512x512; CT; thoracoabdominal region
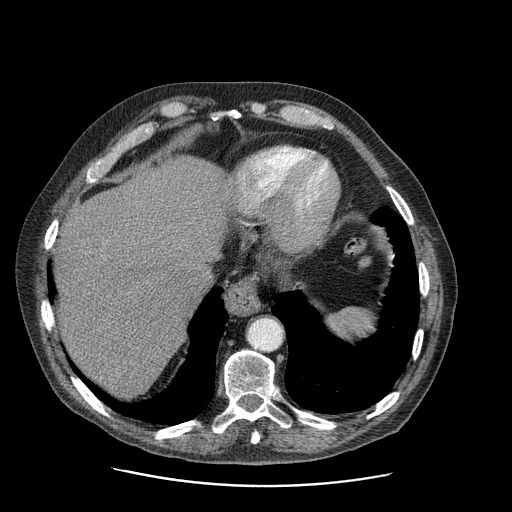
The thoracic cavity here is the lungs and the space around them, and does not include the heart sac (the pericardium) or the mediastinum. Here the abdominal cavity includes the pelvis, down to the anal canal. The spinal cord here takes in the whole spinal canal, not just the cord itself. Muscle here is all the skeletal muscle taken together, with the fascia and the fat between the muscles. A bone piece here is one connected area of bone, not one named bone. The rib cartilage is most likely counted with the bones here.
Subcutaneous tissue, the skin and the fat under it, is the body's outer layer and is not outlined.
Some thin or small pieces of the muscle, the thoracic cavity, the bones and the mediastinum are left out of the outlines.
{"mediastinum":[[[244,267],[260,269],[273,279],[275,292],[269,296],[272,301],[270,310],[284,326],[287,342],[285,365],[277,367],[275,361],[265,354],[241,348],[232,352],[220,368],[217,367],[218,347],[226,329],[227,314],[222,299],[224,290],[216,285],[229,272]],[[246,116],[271,120],[294,128],[323,131],[341,136],[367,164],[395,209],[384,204],[371,214],[371,221],[359,214],[347,215],[340,221],[348,203],[348,180],[340,157],[326,143],[294,132],[266,131],[245,141],[243,130],[235,122],[224,118],[235,120]],[[207,116],[212,120],[211,121],[197,125],[190,129],[182,135],[179,136],[155,155],[133,168],[128,172],[109,179],[100,179],[103,178],[111,170],[116,162],[124,153],[138,144],[149,139],[162,126],[181,120],[184,120],[188,118],[206,117]]],"thoracic_cavity":[[[384,205],[396,209],[407,225],[415,255],[419,313],[410,356],[393,389],[373,405],[349,413],[304,408],[276,382],[278,368],[287,362],[288,342],[284,324],[271,310],[270,296],[301,292],[325,329],[352,346],[373,335],[394,267],[386,228],[371,219]],[[216,286],[223,290],[226,314],[216,353],[216,367],[218,370],[222,366],[224,395],[214,394],[193,418],[168,425],[118,413],[99,399],[70,366],[66,353],[88,380],[119,402],[137,403],[153,397],[168,386],[186,359],[190,346],[188,326],[205,296]]],"abdominal_cavity":[[[223,118],[244,134],[225,175],[235,217],[281,257],[313,255],[350,215],[385,228],[393,267],[377,329],[352,345],[326,329],[301,291],[276,291],[268,272],[235,268],[195,310],[167,386],[119,401],[80,371],[58,335],[51,258],[64,215],[99,180]]],"bones":[{"outer":[[241,349],[254,350],[273,360],[277,368],[275,382],[283,396],[299,409],[338,422],[337,427],[318,429],[302,424],[285,406],[278,404],[290,416],[290,427],[282,428],[262,416],[254,422],[237,419],[222,433],[213,432],[214,417],[227,405],[223,364]],"hole":[[245,395],[256,395],[257,396],[258,396],[262,400],[262,402],[258,406],[258,407],[257,407],[253,411],[248,411],[247,410],[246,410],[244,408],[243,408],[241,406],[240,406],[238,404],[238,401],[243,396],[244,396]]},[[148,121],[155,121],[158,124],[155,132],[149,138],[138,143],[124,152],[115,162],[110,170],[104,175],[103,177],[100,178],[95,183],[93,183],[90,185],[85,181],[86,172],[88,168],[95,161],[108,152],[112,146],[124,135],[127,134],[140,124]],[[287,104],[301,106],[309,110],[311,110],[321,116],[328,117],[333,122],[334,124],[334,128],[332,130],[328,130],[320,127],[300,127],[299,126],[292,125],[288,122],[286,122],[279,116],[277,112],[277,110],[281,106],[283,105],[286,105]],[[194,418],[197,418],[201,421],[202,427],[199,428],[194,427],[190,431],[185,432],[181,436],[178,436],[177,437],[169,437],[168,438],[164,438],[158,440],[155,439],[154,437],[149,432],[148,432],[149,431],[153,431],[161,427],[176,425],[191,420]],[[72,372],[73,372],[82,381],[82,382],[99,400],[100,400],[107,407],[108,407],[110,409],[109,413],[111,415],[113,419],[111,419],[98,412],[95,409],[94,409],[84,399],[84,398],[76,389],[76,388],[74,386],[70,379],[70,374]],[[387,184],[390,185],[394,189],[395,189],[399,193],[399,194],[404,199],[404,200],[406,202],[412,214],[412,216],[414,220],[414,224],[413,225],[408,225],[406,223],[406,222],[404,220],[404,219],[394,205],[390,196],[384,188],[384,186]],[[397,389],[400,389],[401,391],[400,395],[398,397],[397,400],[391,406],[390,406],[387,409],[386,409],[381,413],[369,419],[367,419],[365,417],[368,413],[371,412],[374,409],[374,405],[377,402],[382,399],[391,391],[393,390],[396,390]],[[173,101],[179,101],[180,102],[182,102],[183,103],[186,104],[188,106],[189,109],[185,113],[184,113],[180,116],[177,116],[176,117],[166,117],[165,116],[162,116],[160,114],[160,108],[164,104],[165,104],[166,103],[168,103],[169,102],[172,102]],[[44,298],[47,298],[48,299],[51,305],[51,308],[52,309],[53,315],[54,316],[54,319],[55,320],[55,326],[50,332],[49,332],[47,330],[44,323],[42,321],[42,318],[41,317],[41,312],[40,311],[40,303],[41,302],[41,300]],[[420,260],[423,261],[423,262],[425,264],[425,266],[427,269],[427,271],[428,272],[428,275],[429,276],[429,289],[428,290],[427,295],[424,298],[421,297],[421,296],[420,295],[420,292],[419,291],[419,277],[418,276],[418,267],[417,266],[417,263]],[[54,218],[57,218],[58,219],[58,221],[59,222],[59,225],[58,226],[58,230],[57,231],[57,235],[56,236],[55,241],[53,244],[53,246],[49,250],[46,250],[44,248],[44,236],[45,235],[45,232],[46,231],[46,229],[50,224],[51,221]],[[419,327],[421,327],[423,329],[424,331],[424,337],[423,338],[423,341],[422,342],[422,346],[421,347],[419,355],[417,357],[416,360],[414,361],[411,357],[411,350],[412,349],[412,345],[413,344],[413,340],[414,339],[415,333],[417,329]],[[233,108],[239,110],[242,113],[243,115],[239,118],[236,118],[235,119],[234,118],[230,118],[229,117],[223,117],[221,119],[214,120],[213,119],[211,119],[211,118],[209,117],[208,115],[210,112],[212,112],[213,111],[217,111],[218,110],[228,110]],[[253,102],[259,102],[260,103],[264,103],[267,106],[267,111],[264,114],[261,114],[260,115],[257,115],[256,114],[254,114],[253,113],[252,113],[249,110],[249,106],[250,105],[250,104],[251,103],[252,103]]],"spinal_cord":[[[245,395],[256,395],[257,396],[258,396],[262,400],[262,402],[258,406],[258,407],[257,407],[253,411],[248,411],[247,410],[246,410],[244,408],[243,408],[241,406],[240,406],[238,404],[238,401],[243,396],[244,396]]],"muscle":[{"outer":[[176,95],[195,95],[200,97],[210,97],[214,99],[225,101],[236,101],[237,100],[247,100],[248,99],[286,99],[307,103],[328,112],[354,132],[374,154],[375,157],[407,196],[427,230],[429,238],[432,242],[433,247],[435,250],[438,262],[438,267],[441,274],[441,279],[444,292],[440,330],[438,335],[438,340],[435,347],[435,351],[427,367],[424,376],[420,380],[416,387],[410,393],[405,401],[386,419],[362,434],[349,440],[346,443],[343,443],[337,447],[326,449],[323,451],[315,453],[282,452],[273,450],[270,447],[267,446],[258,446],[257,445],[256,446],[240,448],[232,451],[214,455],[211,454],[203,455],[202,454],[182,452],[177,450],[171,450],[167,448],[149,444],[128,436],[123,433],[120,433],[102,422],[86,409],[77,404],[68,395],[58,383],[50,368],[40,338],[39,327],[37,324],[37,317],[35,312],[35,307],[36,306],[35,305],[35,295],[34,294],[34,277],[35,276],[35,262],[37,252],[37,243],[52,206],[83,165],[108,142],[118,131],[137,116],[141,111],[156,101]],"holes":[[[287,104],[328,117],[334,124],[332,130],[301,128],[341,136],[359,154],[383,188],[388,184],[399,193],[412,214],[414,224],[407,227],[415,262],[423,261],[427,269],[429,289],[424,298],[419,296],[417,327],[424,331],[419,355],[414,361],[409,357],[393,386],[394,390],[400,389],[400,395],[391,406],[369,419],[365,417],[374,409],[373,405],[349,413],[312,410],[316,416],[338,422],[333,429],[302,424],[285,406],[278,404],[290,416],[290,427],[282,428],[262,416],[254,422],[237,419],[222,433],[215,433],[212,430],[214,417],[224,409],[227,400],[224,395],[214,394],[208,405],[194,417],[201,421],[202,427],[160,440],[148,432],[167,424],[140,420],[111,409],[109,413],[113,419],[101,414],[72,383],[73,370],[58,330],[55,326],[49,332],[42,321],[40,303],[48,297],[47,265],[54,249],[53,246],[49,250],[44,248],[46,229],[57,218],[60,230],[68,208],[90,187],[85,181],[88,168],[140,124],[155,121],[157,131],[167,124],[234,108],[243,117],[299,128],[279,116],[277,110]],[[173,101],[179,101],[180,102],[182,102],[183,103],[186,104],[188,106],[189,109],[185,113],[184,113],[180,116],[177,116],[176,117],[166,117],[165,116],[162,116],[160,114],[160,108],[164,104],[165,104],[166,103],[168,103],[169,102],[172,102]],[[253,102],[259,102],[260,103],[264,103],[267,106],[267,111],[264,114],[261,114],[260,115],[257,115],[256,114],[254,114],[253,113],[252,113],[249,110],[249,106],[250,105],[250,104],[251,103],[252,103]],[[253,429],[256,429],[258,431],[258,432],[259,433],[259,435],[260,436],[260,439],[259,440],[259,441],[257,443],[256,443],[255,444],[253,444],[252,443],[251,443],[251,442],[250,441],[250,438],[251,437],[251,433],[252,432],[252,430]]]},[[283,390],[284,390],[287,393],[287,394],[290,397],[290,398],[298,406],[299,406],[300,407],[301,407],[304,409],[306,409],[302,409],[301,408],[299,408],[298,407],[295,406],[292,403],[291,403],[284,396],[284,395],[282,392],[282,391]]],"pericardium":[[[266,132],[288,132],[305,135],[320,141],[326,144],[339,157],[344,166],[347,180],[347,203],[341,218],[327,240],[313,254],[303,259],[291,260],[281,256],[276,252],[254,225],[245,223],[236,217],[229,196],[226,175],[229,160],[233,151],[246,141]]],"torso":[[[184,81],[276,81],[324,91],[358,112],[421,183],[453,255],[457,302],[451,335],[437,373],[397,432],[354,450],[312,461],[264,465],[196,463],[123,443],[70,410],[52,391],[27,335],[15,287],[15,251],[24,218],[68,149],[96,118],[141,90]]]}